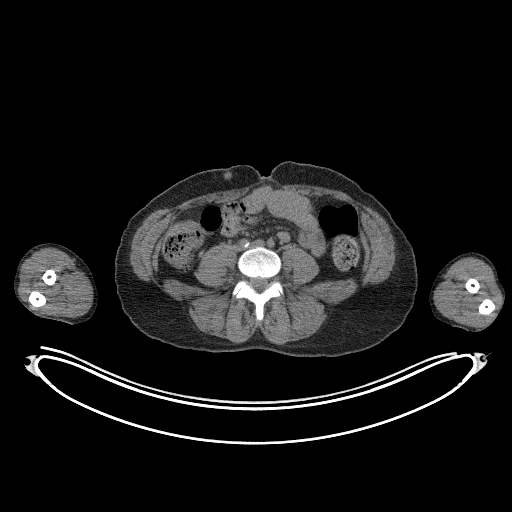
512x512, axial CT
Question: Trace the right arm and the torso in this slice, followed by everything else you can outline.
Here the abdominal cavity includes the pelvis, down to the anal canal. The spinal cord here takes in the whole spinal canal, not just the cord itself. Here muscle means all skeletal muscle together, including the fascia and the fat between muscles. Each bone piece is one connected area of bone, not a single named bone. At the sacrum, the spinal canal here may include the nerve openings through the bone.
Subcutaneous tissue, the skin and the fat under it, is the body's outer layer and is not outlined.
Answer: Outlined structures:
right arm: 44,242 54,242 61,244 69,248 76,253 87,264 92,272 94,281 97,287 98,299 95,311 88,320 73,325 58,320 38,317 24,307 17,299 13,290 13,281 14,280 14,275 17,264 21,257 31,247
torso: 287,160 328,167 353,178 387,208 403,230 413,247 418,272 414,305 404,323 374,347 335,357 297,357 263,349 196,351 162,343 136,329 121,309 114,282 115,252 130,217 150,199 196,172 248,164 265,176
left arm: 470,251 481,253 487,256 494,263 497,269 500,281 506,293 505,302 503,307 495,320 485,329 476,332 469,332 458,327 453,327 438,320 434,317 431,312 428,301 428,294 432,282 440,269 455,256 461,253
muscle 1: 266,179 339,190 370,207 390,228 395,243 395,262 385,280 360,288 343,300 328,314 321,328 301,343 276,344 259,331 243,342 218,343 195,326 179,301 153,283 138,278 129,258 132,238 144,219 155,210 with a hole at 265,183 352,204 364,251 357,277 308,284 320,271 318,263 286,244 276,276 284,292 264,304 262,320 253,302 232,295 242,275 236,247 229,243 201,256 193,274 205,287 158,277 162,240 176,215 236,199
muscle 2: 46,247 57,248 65,252 70,257 74,259 76,267 79,270 82,271 89,279 93,290 93,300 90,308 85,314 77,317 66,317 60,315 44,314 32,309 27,302 21,299 18,293 19,274 21,265 33,252; inner edges: 33,290 37,290 39,291 43,295 44,295 44,296 46,298 46,301 43,305 41,306 39,306 38,307 35,307 33,306 29,302 29,300 28,299 29,297 29,294 30,292, then 47,269 53,269 53,270 55,272 55,274 56,275 56,279 55,280 55,282 52,285 48,285 47,284 46,284 44,282 44,281 42,279 42,275 44,273 44,272
muscle 3: 465,257 475,257 484,261 489,265 493,271 495,281 502,294 502,302 499,308 496,311 493,318 489,322 481,327 472,327 465,324 456,322 445,317 438,311 433,300 434,291 437,285 441,281 443,275 452,264, around holes outlined by 485,298 488,298 489,299 490,299 494,303 494,305 495,306 495,308 489,314 481,314 480,313 479,313 479,312 478,311 478,306 480,304 480,303 483,300 483,299 484,299 and by 469,278 475,278 477,280 477,281 479,283 479,289 478,290 478,291 476,293 471,293 470,292 469,292 466,289 466,288 465,287 465,283 467,281 467,280
bones 1: 256,246 263,246 270,249 279,256 281,260 281,268 276,279 281,284 284,292 278,297 272,297 264,304 262,320 256,319 255,305 253,302 246,298 235,298 232,295 236,283 242,278 237,266 238,258 244,251 with a hole at 254,278 261,278 262,279 266,279 267,280 267,281 268,282 268,285 267,286 267,287 265,289 264,289 262,291 261,291 260,292 258,292 256,290 255,290 252,287 252,286 251,285 251,280 252,279 253,279
bones 2: 33,290 37,290 39,291 43,295 44,295 44,296 46,298 46,301 43,305 41,306 39,306 38,307 35,307 33,306 29,302 29,300 28,299 29,297 29,294 30,292
bones 3: 485,298 488,298 489,299 490,299 494,303 494,305 495,306 495,308 489,314 481,314 480,313 479,313 479,312 478,311 478,306 480,304 480,303 483,300 483,299 484,299
bones 4: 47,269 53,269 53,270 55,272 55,274 56,275 56,279 55,280 55,282 52,285 48,285 47,284 46,284 44,282 44,281 42,279 42,275 44,273 44,272
bones 5: 469,278 475,278 477,280 477,281 479,283 479,289 478,290 478,291 476,293 471,293 470,292 469,292 466,289 466,288 465,287 465,283 467,281 467,280
abdominal cavity: 265,183 304,195 329,195 352,204 364,251 357,277 308,284 320,267 295,244 284,245 280,257 263,245 249,247 238,257 236,247 224,242 205,251 193,272 205,287 158,277 162,240 176,215 194,206 236,199
spinal cord: 254,278 261,278 262,279 266,279 267,280 267,281 268,282 268,285 267,286 267,287 265,289 264,289 262,291 261,291 260,292 258,292 256,290 255,290 252,287 252,286 251,285 251,280 252,279 253,279